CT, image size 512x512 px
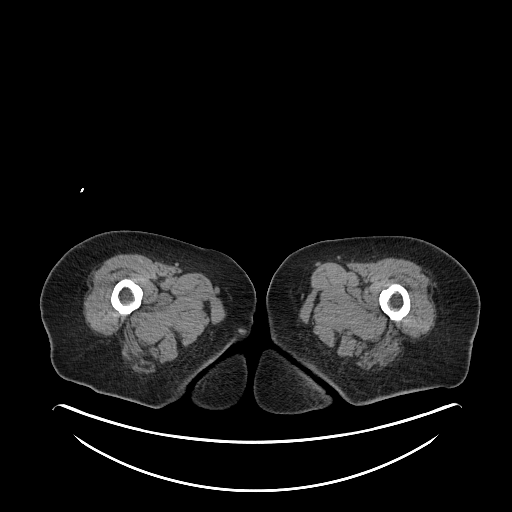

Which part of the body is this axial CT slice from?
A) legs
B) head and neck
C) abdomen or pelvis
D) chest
Answer: A) legs
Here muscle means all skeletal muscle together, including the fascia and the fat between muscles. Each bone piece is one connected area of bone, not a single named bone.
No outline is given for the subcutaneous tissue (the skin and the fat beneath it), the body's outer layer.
The right leg is outlined by [[121,229],[153,232],[220,251],[246,272],[257,300],[249,336],[227,352],[241,351],[247,365],[245,389],[233,406],[211,410],[192,402],[189,393],[201,373],[187,386],[182,397],[161,408],[98,393],[56,373],[39,308],[44,281],[72,246],[92,235]]. The muscle appears in 2 outlined pieces: piece 1: [[388,255],[400,255],[413,259],[421,264],[433,277],[440,293],[441,308],[431,334],[426,339],[405,351],[399,357],[396,365],[384,376],[364,378],[352,369],[340,362],[334,361],[324,354],[314,340],[301,327],[298,315],[301,297],[308,277],[317,262]], around a hole outlined by [[392,283],[399,283],[401,285],[402,285],[408,291],[409,297],[410,298],[410,308],[409,309],[409,311],[408,313],[399,321],[395,321],[394,320],[390,319],[389,317],[382,311],[379,304],[379,301],[378,300],[380,292],[383,289],[386,288]]; piece 2: [[119,253],[148,255],[203,271],[216,284],[223,301],[226,314],[222,322],[207,332],[196,343],[190,353],[179,363],[154,375],[136,376],[122,357],[121,346],[118,340],[115,337],[105,337],[95,333],[85,321],[83,301],[88,290],[88,276],[98,264]], around a hole outlined by [[123,278],[129,278],[133,280],[141,287],[143,292],[143,295],[142,296],[140,306],[127,315],[122,315],[120,314],[119,312],[112,306],[111,301],[110,300],[110,297],[111,296],[111,293],[112,292],[113,287],[118,281],[121,280]]. The bones appear in 2 outlined pieces: piece 1: [[392,283],[399,283],[401,285],[402,285],[408,291],[409,297],[410,298],[410,308],[409,309],[409,311],[408,313],[399,321],[395,321],[394,320],[390,319],[389,317],[382,311],[379,304],[379,301],[378,300],[380,292],[383,289],[386,288]]; piece 2: [[123,278],[129,278],[133,280],[141,287],[143,292],[143,295],[142,296],[140,306],[127,315],[122,315],[120,314],[119,312],[112,306],[111,301],[110,300],[110,297],[111,296],[111,293],[112,292],[113,287],[118,281],[121,280]]. The left leg is outlined by [[370,235],[404,235],[429,241],[459,261],[473,278],[480,297],[480,313],[465,379],[451,388],[436,387],[356,405],[307,370],[332,397],[331,405],[297,414],[265,411],[256,403],[253,381],[262,351],[274,346],[265,308],[274,272],[289,254],[308,244]].